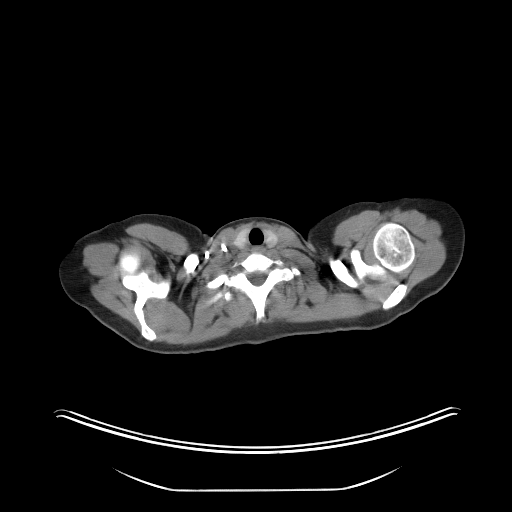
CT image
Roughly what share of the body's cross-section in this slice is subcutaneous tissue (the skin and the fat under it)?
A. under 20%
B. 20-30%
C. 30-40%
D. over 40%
B. 20-30%
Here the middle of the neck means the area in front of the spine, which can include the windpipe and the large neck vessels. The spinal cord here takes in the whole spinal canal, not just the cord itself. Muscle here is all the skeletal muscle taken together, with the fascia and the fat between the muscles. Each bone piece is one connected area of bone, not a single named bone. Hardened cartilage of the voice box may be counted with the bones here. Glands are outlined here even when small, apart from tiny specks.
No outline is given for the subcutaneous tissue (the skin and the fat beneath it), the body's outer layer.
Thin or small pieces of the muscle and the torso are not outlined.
{"left_arm":[[[413,196],[433,197],[450,203],[457,209],[461,215],[466,233],[464,252],[458,268],[447,284],[439,292],[428,298],[418,295],[408,290],[394,279],[388,276],[380,268],[376,262],[367,240],[367,219],[371,204],[373,201],[380,202],[400,197],[412,197]]],"middle_of_the_neck":[[[253,224],[258,224],[267,229],[264,232],[264,240],[269,249],[276,246],[282,240],[289,246],[290,253],[285,257],[275,257],[259,251],[252,251],[241,257],[223,257],[220,254],[220,247],[225,241],[231,240],[231,243],[242,252],[246,248],[247,226]]],"torso":[[[359,201],[372,201],[366,240],[379,268],[408,291],[427,298],[379,328],[294,335],[195,354],[160,354],[128,343],[62,288],[97,292],[139,275],[158,252],[161,224],[157,213],[191,222],[210,235],[227,222],[249,216],[285,221],[305,235],[322,217]]],"muscle":[{"outer":[[393,205],[440,222],[446,259],[406,296],[408,285],[397,282],[379,299],[383,310],[351,320],[275,321],[234,329],[198,344],[155,342],[157,334],[145,318],[144,306],[149,299],[165,299],[171,279],[153,280],[141,267],[137,251],[120,253],[116,267],[122,285],[135,294],[132,309],[139,332],[95,299],[82,264],[85,245],[142,222],[176,231],[198,246],[227,227],[265,221],[288,227],[323,250],[342,220],[366,209]],"holes":[[[253,224],[272,231],[290,248],[285,257],[267,256],[300,271],[300,275],[277,283],[268,293],[265,316],[260,322],[256,321],[251,300],[243,292],[223,285],[214,289],[206,287],[207,282],[229,272],[235,262],[247,256],[225,258],[220,254],[220,247]],[[385,222],[400,224],[409,232],[415,249],[412,263],[399,273],[388,270],[385,274],[374,278],[367,275],[356,288],[339,280],[329,266],[329,257],[338,258],[353,275],[350,257],[353,248],[360,251],[363,261],[367,264],[377,263],[372,241],[376,231]],[[192,252],[194,252],[197,254],[197,255],[198,256],[198,263],[196,265],[193,272],[192,272],[189,274],[187,274],[186,273],[186,272],[185,271],[185,269],[183,266],[183,263],[184,262],[184,260],[185,259],[185,258],[190,253],[191,253]],[[225,290],[228,290],[231,292],[231,293],[232,294],[232,298],[230,300],[227,301],[226,300],[225,300],[225,299],[223,297],[221,297],[220,298],[219,298],[215,302],[213,302],[212,303],[208,303],[207,302],[208,301],[208,300],[218,291],[224,291]]]}],"bones":[[[385,222],[400,224],[409,232],[415,249],[412,263],[399,273],[388,270],[385,274],[374,278],[367,275],[356,288],[339,280],[329,266],[329,257],[338,258],[353,275],[350,257],[353,248],[360,251],[363,261],[367,264],[377,263],[372,241],[376,231]],{"outer":[[252,252],[280,259],[285,266],[294,266],[300,271],[300,275],[289,281],[277,283],[268,293],[265,300],[265,316],[260,322],[256,321],[256,311],[251,300],[243,292],[223,285],[214,289],[206,287],[207,282],[221,273],[229,272],[235,262],[241,261]],"hole":[[256,271],[259,271],[260,272],[263,272],[264,273],[266,273],[266,276],[265,277],[265,279],[264,281],[261,284],[259,285],[255,285],[253,284],[249,280],[247,276],[247,275],[249,273],[252,273]]},[[124,251],[134,251],[139,254],[140,267],[147,272],[153,281],[158,282],[167,278],[171,281],[169,292],[165,298],[149,298],[143,306],[144,318],[156,334],[153,341],[149,341],[141,335],[141,326],[133,309],[136,294],[126,288],[121,280],[117,264]],[[397,283],[405,283],[407,285],[407,290],[406,291],[406,294],[405,295],[405,296],[401,300],[401,301],[395,306],[394,306],[387,310],[384,310],[382,308],[382,303],[381,302],[380,299],[383,299],[384,298],[385,298],[395,287],[395,286],[397,284]],[[192,252],[194,252],[197,254],[197,255],[198,256],[198,263],[196,265],[193,272],[192,272],[189,274],[187,274],[186,273],[186,272],[185,271],[185,269],[183,266],[183,263],[184,262],[184,260],[185,259],[185,258],[190,253],[191,253]],[[225,290],[228,290],[231,292],[231,293],[232,294],[232,298],[230,300],[227,301],[226,300],[225,300],[225,299],[223,297],[221,297],[220,298],[219,298],[215,302],[213,302],[212,303],[208,303],[207,302],[208,301],[208,300],[218,291],[224,291]]],"thyroid_glands":[[[245,227],[246,227],[246,228],[247,229],[247,230],[246,231],[246,236],[245,237],[245,248],[242,251],[241,250],[240,250],[238,248],[237,248],[232,243],[232,242],[237,237],[237,236],[238,235],[238,234],[239,233],[239,232],[243,228],[244,228]],[[268,229],[272,231],[274,233],[274,234],[276,236],[278,240],[278,242],[276,244],[276,245],[275,245],[271,248],[269,248],[267,246],[266,244],[266,241],[265,240],[266,239],[266,235],[265,234],[265,232],[266,230]]],"spinal_cord":[[[256,271],[259,271],[260,272],[263,272],[264,273],[266,273],[266,276],[265,277],[265,279],[264,281],[261,284],[259,285],[255,285],[253,284],[249,280],[247,276],[247,275],[249,273],[252,273]]],"right_arm":[[[141,213],[156,213],[157,214],[160,224],[160,241],[155,256],[139,274],[121,284],[97,291],[72,291],[64,288],[61,285],[58,277],[59,263],[64,255],[72,247],[75,241],[79,237],[87,232],[100,228],[108,223],[118,221],[129,216]]]}